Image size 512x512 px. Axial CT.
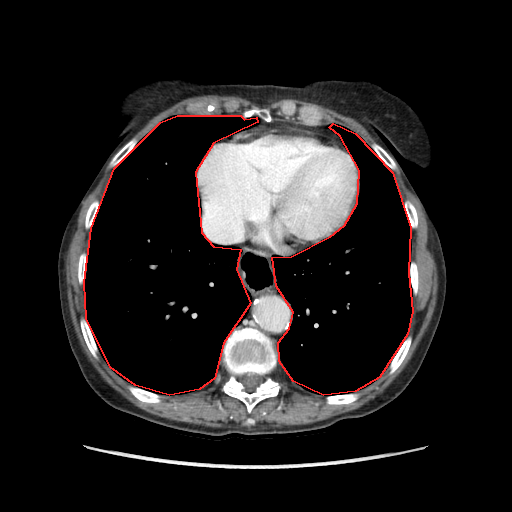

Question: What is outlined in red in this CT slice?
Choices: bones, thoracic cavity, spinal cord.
Answer: red: thoracic cavity.
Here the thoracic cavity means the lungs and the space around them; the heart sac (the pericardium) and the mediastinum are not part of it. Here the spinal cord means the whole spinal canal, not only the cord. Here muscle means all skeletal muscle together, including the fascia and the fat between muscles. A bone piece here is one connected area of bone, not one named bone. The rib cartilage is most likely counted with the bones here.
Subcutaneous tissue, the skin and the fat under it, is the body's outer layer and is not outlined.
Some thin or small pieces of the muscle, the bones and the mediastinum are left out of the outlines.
{"thoracic_cavity":[[[177,115],[240,115],[244,119],[256,117],[257,122],[213,143],[195,172],[201,232],[213,246],[240,249],[236,269],[250,303],[223,343],[214,378],[199,389],[169,395],[135,385],[110,367],[86,318],[84,282],[91,228],[114,168],[160,122]],[[333,123],[355,133],[392,172],[410,227],[408,273],[412,311],[407,334],[379,377],[355,391],[323,395],[293,381],[279,361],[278,342],[289,328],[293,312],[276,286],[272,257],[291,256],[330,236],[344,225],[357,203],[359,170],[340,136],[329,127]]],"pericardium":[[[275,125],[295,126],[319,132],[333,138],[347,150],[357,167],[360,182],[351,213],[339,229],[290,255],[272,253],[264,247],[247,242],[216,244],[209,241],[201,229],[202,205],[196,187],[196,172],[203,156],[213,144],[224,138],[230,138],[242,131]]],"muscle":[{"outer":[[109,163],[113,170],[103,197],[101,201],[95,198],[88,205],[84,217],[84,227],[90,229],[90,236],[87,252],[82,251],[77,261],[76,275],[78,283],[83,285],[85,310],[85,317],[82,315],[78,321],[90,354],[97,359],[99,352],[109,367],[130,383],[127,389],[136,399],[157,404],[161,402],[161,395],[186,394],[203,388],[213,380],[218,383],[223,379],[218,370],[221,365],[227,377],[220,390],[241,401],[250,414],[259,402],[279,394],[281,385],[272,375],[279,362],[288,377],[304,390],[325,396],[328,405],[345,405],[356,401],[360,397],[357,391],[374,382],[387,368],[388,373],[393,374],[402,364],[413,341],[413,336],[408,331],[413,296],[419,291],[419,268],[411,259],[411,229],[418,226],[418,212],[410,199],[403,200],[400,195],[392,171],[397,166],[405,184],[423,208],[428,228],[427,247],[433,254],[438,282],[432,318],[406,366],[380,394],[360,407],[307,424],[212,427],[161,417],[133,404],[103,379],[83,352],[71,320],[66,291],[65,258],[77,228],[82,203],[97,185]],"hole":[[248,417],[249,417],[250,417],[251,417],[252,418],[253,419],[254,420],[255,421],[255,422],[254,423],[254,424],[253,424],[252,424],[251,424],[250,424],[249,424],[248,424],[247,423],[246,423],[246,422],[246,421],[246,420],[246,419],[247,418]]},{"outer":[[210,94],[220,96],[238,96],[257,105],[268,105],[272,102],[286,98],[299,99],[315,103],[329,108],[342,115],[355,119],[368,131],[377,142],[372,141],[368,145],[355,132],[343,125],[334,122],[326,125],[319,125],[323,118],[323,112],[320,107],[310,103],[302,103],[299,105],[298,118],[302,121],[304,125],[295,125],[289,122],[273,121],[272,113],[268,109],[259,107],[247,108],[241,114],[220,114],[223,111],[221,104],[219,100],[213,95],[209,98],[203,98],[193,101],[189,103],[185,108],[186,112],[191,115],[208,116],[193,116],[187,114],[177,114],[168,116],[160,121],[140,141],[142,138],[141,137],[134,136],[153,117],[186,98]],"holes":[[[286,100],[291,100],[292,101],[294,101],[295,102],[296,102],[296,103],[297,104],[297,106],[295,109],[295,112],[292,115],[290,115],[289,116],[286,116],[283,113],[282,113],[280,110],[280,106],[281,105],[281,104],[282,103],[282,102],[283,102]],[[229,100],[236,100],[237,101],[238,101],[238,102],[240,105],[240,107],[239,108],[239,109],[238,110],[237,110],[236,111],[234,111],[233,112],[227,112],[226,111],[225,111],[225,110],[224,109],[224,105],[225,104],[225,103],[227,101],[228,101]]]}],"mediastinum":[[[239,243],[252,244],[264,248],[272,254],[278,254],[271,257],[272,267],[277,278],[275,286],[289,302],[292,319],[276,346],[269,336],[255,327],[235,327],[246,315],[251,303],[251,295],[241,283],[237,269],[237,258],[241,249],[233,245],[220,245]],[[299,125],[302,126],[310,126],[311,127],[315,127],[316,126],[326,126],[328,125],[328,127],[339,136],[345,147],[344,147],[344,146],[342,145],[339,141],[334,139],[333,137],[328,137],[327,135],[325,135],[319,131],[308,129],[304,127],[296,126]]],"bones":[{"outer":[[245,327],[255,328],[269,337],[277,349],[279,358],[271,374],[273,379],[280,385],[278,394],[274,397],[268,397],[259,401],[250,413],[247,412],[247,408],[241,400],[221,390],[223,383],[228,377],[224,367],[220,364],[224,343],[232,329]],"hole":[[244,373],[255,373],[256,374],[258,374],[259,375],[261,375],[263,376],[264,377],[264,379],[263,381],[261,382],[254,389],[253,391],[251,392],[249,392],[245,390],[245,387],[244,385],[240,381],[239,381],[237,378],[237,377],[239,375],[241,375]]},[[212,96],[215,97],[218,100],[220,104],[220,107],[222,110],[221,113],[219,114],[212,114],[211,115],[200,115],[199,114],[191,114],[187,112],[186,110],[186,108],[189,104],[193,102],[195,102],[198,100],[202,100],[203,99],[209,99],[210,97]],[[302,104],[310,104],[311,105],[313,105],[314,106],[316,106],[317,107],[320,108],[320,109],[322,112],[322,118],[318,125],[316,125],[315,126],[311,126],[310,125],[305,125],[304,124],[303,121],[299,118],[299,107],[300,106],[300,105],[301,105]],[[409,334],[410,334],[412,336],[412,341],[409,347],[409,349],[407,352],[407,354],[405,356],[401,364],[397,368],[397,369],[393,373],[389,373],[389,369],[388,368],[388,366],[391,360],[393,358],[393,357],[401,346],[402,343],[406,338],[407,335]],[[82,316],[86,319],[87,323],[92,333],[92,335],[94,338],[94,340],[96,343],[96,345],[98,348],[98,353],[97,354],[98,357],[97,358],[95,358],[91,354],[83,337],[81,331],[81,328],[80,327],[80,322],[79,321],[80,318]],[[130,384],[132,384],[135,386],[137,386],[145,390],[147,390],[148,391],[150,391],[151,392],[159,394],[160,395],[160,402],[158,402],[157,403],[148,403],[147,402],[144,402],[143,401],[139,400],[137,398],[136,398],[128,389],[128,386]],[[134,137],[135,137],[136,138],[141,138],[139,140],[138,143],[133,148],[133,149],[123,159],[122,159],[121,160],[121,161],[120,161],[114,167],[112,167],[110,165],[110,161],[113,157],[113,156],[128,141],[129,141],[132,138],[133,138]],[[356,391],[359,393],[359,397],[356,400],[355,400],[354,401],[353,401],[350,403],[346,403],[345,404],[328,404],[326,402],[326,396],[327,396],[328,395],[336,395],[337,394],[345,394],[346,393],[350,393],[351,392],[355,392]],[[372,142],[375,142],[376,143],[379,144],[391,156],[391,157],[396,162],[397,165],[396,166],[396,167],[394,170],[392,170],[389,167],[388,167],[383,162],[383,161],[377,155],[377,154],[370,147],[370,146],[369,145],[370,144],[370,143],[371,143]],[[251,108],[259,108],[260,109],[265,109],[266,110],[268,110],[271,113],[271,115],[272,116],[272,121],[271,122],[266,122],[261,118],[255,115],[251,116],[250,117],[248,117],[247,118],[244,118],[241,115],[242,113],[245,110],[247,109],[250,109]],[[406,199],[408,199],[411,201],[411,202],[414,205],[416,209],[416,211],[417,212],[417,218],[418,219],[417,221],[417,226],[413,229],[411,228],[409,224],[409,222],[408,221],[408,219],[406,215],[406,212],[404,208],[404,204],[403,203],[403,201]],[[95,199],[97,199],[99,200],[100,202],[99,204],[99,207],[98,208],[97,213],[95,216],[95,218],[93,221],[93,223],[91,227],[89,229],[86,229],[85,227],[85,217],[86,216],[86,212],[87,211],[87,209],[89,205]],[[84,251],[85,251],[87,253],[87,267],[86,268],[86,273],[85,274],[85,278],[84,279],[83,284],[82,285],[81,285],[78,281],[78,276],[77,275],[77,272],[78,271],[78,261],[79,260],[79,256],[80,255],[80,254]],[[411,260],[413,260],[417,264],[417,267],[418,268],[418,291],[417,292],[417,294],[416,295],[415,295],[414,296],[413,295],[413,291],[412,290],[412,287],[411,286],[411,281],[410,280],[410,274],[409,273],[409,268],[410,267],[410,262],[411,261]],[[286,100],[291,100],[292,101],[294,101],[295,102],[296,102],[296,103],[297,104],[297,106],[295,109],[295,112],[292,115],[290,115],[289,116],[286,116],[283,113],[282,113],[280,110],[280,106],[281,105],[281,104],[282,103],[282,102],[283,102]]],"torso":[[[174,78],[253,85],[366,80],[402,98],[420,117],[431,143],[429,167],[410,163],[388,145],[436,227],[445,299],[417,373],[383,407],[311,432],[213,437],[118,410],[85,380],[60,308],[63,232],[116,143],[124,122],[116,111],[124,95],[141,84]]],"spinal_cord":[[[244,373],[255,373],[256,374],[258,374],[259,375],[261,375],[263,376],[264,377],[264,379],[263,381],[261,382],[254,389],[253,391],[251,392],[249,392],[245,390],[245,387],[244,385],[240,381],[239,381],[237,378],[237,377],[239,375],[241,375]]]}